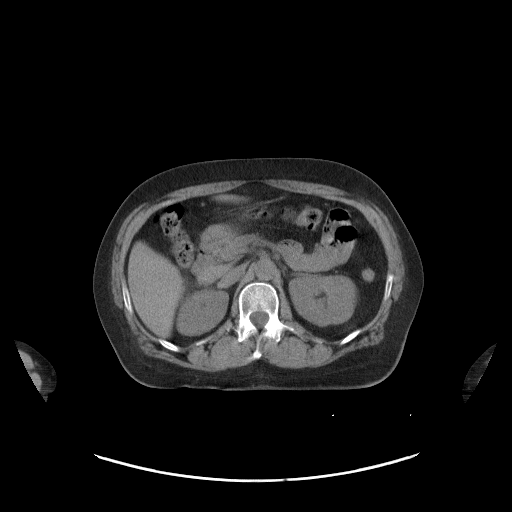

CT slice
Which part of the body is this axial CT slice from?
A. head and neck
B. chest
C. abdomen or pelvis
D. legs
Answer: C. abdomen or pelvis
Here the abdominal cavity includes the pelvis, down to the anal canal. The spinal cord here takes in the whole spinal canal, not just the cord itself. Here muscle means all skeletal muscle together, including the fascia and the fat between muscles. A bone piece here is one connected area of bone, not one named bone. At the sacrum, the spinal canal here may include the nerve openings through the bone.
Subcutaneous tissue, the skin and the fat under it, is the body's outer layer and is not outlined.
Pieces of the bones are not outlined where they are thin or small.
The abdominal cavity is outlined by 253,182 339,201 362,213 387,259 382,300 376,313 342,338 328,340 293,318 282,291 279,295 271,283 254,280 241,288 230,316 206,337 179,346 150,333 134,313 124,273 135,234 162,207. The muscle appears in 2 outlined pieces: piece 1: 252,179 290,179 337,187 371,201 386,215 397,235 405,273 402,290 398,299 391,306 384,323 384,337 379,343 350,351 318,367 286,368 259,359 262,356 260,350 262,339 272,339 277,343 285,330 296,332 292,325 279,318 281,292 296,322 316,337 328,341 340,340 338,344 341,346 354,339 361,332 361,327 377,313 382,301 390,297 394,275 388,272 386,251 378,234 356,207 339,200 253,181 229,190 178,200 153,211 134,234 127,249 123,263 125,282 121,283 121,293 127,312 130,315 135,314 141,325 157,338 158,343 176,353 180,351 180,347 194,342 197,346 207,343 209,340 207,337 231,316 233,302 236,299 238,321 236,325 228,325 225,329 227,331 232,329 238,342 243,342 253,336 255,347 251,358 257,360 243,366 210,372 145,356 138,348 127,323 113,300 110,284 113,248 125,218 143,202 180,188 226,180; inner edge: 370,208 371,209 372,209 377,214 377,215 379,217 379,218 381,221 381,224 382,225 382,230 380,228 380,227 379,226 379,225 376,222 376,220 373,217 373,216 372,215 372,213 370,210; piece 2: 17,347 27,352 37,363 37,365 41,372 41,374 43,378 43,382 41,386 41,392 40,393 34,384 34,382 32,380 32,378 28,373 26,369 26,367 24,364 24,362 20,356 20,354 18,351. The bones appear in 6 outlined pieces: piece 1: 254,281 266,282 275,288 279,298 278,318 295,329 295,332 285,329 277,342 272,338 262,338 259,343 261,356 258,359 252,358 256,347 253,335 238,341 236,332 232,328 226,329 237,325 238,295 246,284; inner edge: 259,311 260,312 264,312 265,313 266,313 267,314 267,315 268,316 268,319 266,321 266,322 261,327 258,327 257,326 256,326 251,321 251,320 250,319 250,315 252,313 253,313 254,312 258,312; piece 2: 123,282 124,282 126,284 127,286 127,289 129,292 129,297 130,298 130,301 131,302 131,306 133,310 133,312 132,314 130,314 128,312 128,311 126,309 124,305 124,301 123,300 123,294 122,293 122,283; piece 3: 388,273 391,273 393,275 393,279 392,280 392,285 391,286 391,290 390,291 390,295 389,296 389,297 386,300 383,301 383,296 384,295 384,288 385,287 385,282 386,281 386,277 387,276 387,274; piece 4: 158,338 161,338 164,340 169,341 170,342 171,342 173,344 178,346 179,347 179,351 177,351 176,352 175,351 172,351 171,350 170,350 169,349 164,347 159,342 158,342 158,341 157,340 157,339; piece 5: 358,328 360,328 360,332 354,338 353,338 351,340 350,340 348,342 347,342 344,344 342,344 341,345 340,344 339,344 341,339 342,339 344,337 345,337 348,334 349,334 351,332 352,332 354,330 355,330; piece 6: 370,208 371,209 372,209 377,214 377,215 379,217 379,218 381,221 381,224 382,225 382,230 380,228 380,227 379,226 379,225 376,222 376,220 373,217 373,216 372,215 372,213 370,210. The spinal cord is outlined by 259,311 260,312 264,312 265,313 266,313 267,314 267,315 268,316 268,319 266,321 266,322 261,327 258,327 257,326 256,326 251,321 251,320 250,319 250,315 252,313 253,313 254,312 258,312. The torso is outlined by 253,157 314,157 352,166 368,175 383,189 409,230 423,266 423,291 401,357 395,369 381,382 355,389 230,391 189,387 162,389 137,382 121,366 99,320 92,291 97,250 114,213 136,186 161,171 197,161. The right arm is outlined by 15,339 18,339 24,341 31,345 39,351 52,364 56,372 57,383 54,391 48,395 48,399 46,401 37,389 36,386 34,384 34,382 32,380 32,378 28,373 24,364 24,362 20,356 20,354 16,346. The left arm is outlined by 493,343 494,344 494,347 491,353 491,356 481,377 479,379 479,381 476,384 473,390 469,394 466,400 463,402 462,400 462,396 461,395 461,392 462,391 461,390 463,385 464,377 469,367 481,354 481,353.